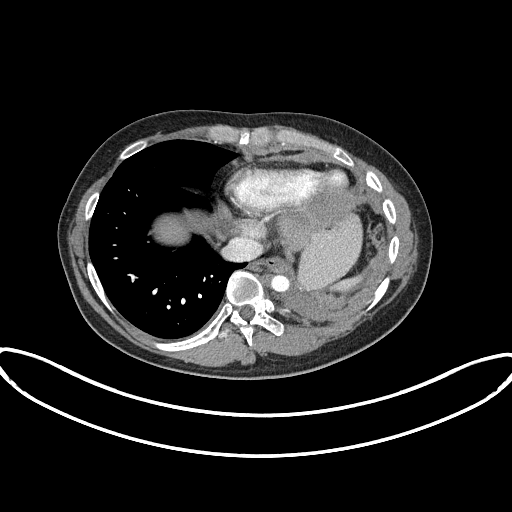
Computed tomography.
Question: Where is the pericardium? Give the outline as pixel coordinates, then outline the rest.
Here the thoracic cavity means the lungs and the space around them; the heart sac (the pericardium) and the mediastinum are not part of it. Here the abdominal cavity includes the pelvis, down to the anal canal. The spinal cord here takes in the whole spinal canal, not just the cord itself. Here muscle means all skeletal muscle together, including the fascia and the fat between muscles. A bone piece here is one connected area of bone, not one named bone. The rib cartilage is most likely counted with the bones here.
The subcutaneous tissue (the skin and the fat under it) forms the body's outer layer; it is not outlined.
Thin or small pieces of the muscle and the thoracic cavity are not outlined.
Answer: The pericardium is outlined by 252 239; 282 239; 288 234; 303 230; 313 231; 327 225; 343 211; 358 191; 358 183; 352 171; 347 166; 322 153; 307 152; 272 156; 257 160; 248 160; 238 164; 228 172; 220 182; 216 197; 218 214; 230 230; 238 235; 246 236. The abdominal cavity appears in 2 outlined pieces: piece 1: 331 309; 352 308; 363 304; 383 278; 387 268; 388 258; 386 252; 391 228; 383 215; 382 209; 376 206; 365 194; 358 194; 344 211; 327 226; 313 232; 303 231; 288 235; 281 240; 285 260; 291 272; 291 281; 295 288; 304 297; piece 2: 213 249; 215 249; 226 237; 232 235; 233 233; 223 224; 219 218; 217 214; 216 204; 214 204; 211 212; 200 208; 183 208; 180 212; 164 212; 153 220; 148 232; 148 234; 156 243; 174 248; 189 243; 191 237; 194 234; 200 235. The muscle appears in 3 outlined pieces: piece 1: 213 367; 246 365; 255 362; 259 356; 291 357; 309 353; 329 341; 345 336; 369 320; 399 294; 415 270; 418 257; 418 235; 406 200; 382 172; 345 150; 355 162; 351 168; 364 177; 365 169; 369 167; 378 175; 383 186; 383 192; 380 194; 383 198; 389 197; 396 208; 396 222; 391 225; 391 237; 394 234; 399 237; 399 251; 395 261; 392 264; 388 262; 385 276; 391 277; 389 288; 372 309; 356 319; 355 316; 366 306; 365 303; 349 318; 335 322; 309 321; 290 311; 283 315; 276 312; 273 314; 285 324; 283 334; 276 336; 263 327; 256 326; 251 347; 238 327; 226 321; 222 326; 229 329; 225 338; 215 338; 205 344; 177 352; 162 351; 153 347; 151 342; 154 340; 168 341; 142 332; 116 310; 113 314; 111 313; 96 295; 87 276; 85 263; 90 259; 88 253; 90 221; 87 222; 84 219; 84 206; 89 195; 94 190; 102 189; 121 161; 117 157; 85 191; 67 233; 71 264; 85 300; 115 330; 134 344; 154 353; piece 2: 149 145; 162 140; 172 138; 189 138; 190 139; 199 139; 200 140; 206 140; 207 141; 210 141; 208 141; 207 140; 206 139; 204 135; 204 130; 207 127; 213 125; 214 124; 225 124; 213 124; 212 125; 211 125; 201 125; 200 126; 186 127; 167 133; 157 132; 152 135; 144 137; 147 139; piece 3: 325 141; 327 141; 323 139; 321 139; 320 138; 319 137; 315 135; 313 135; 310 133; 306 133; 305 132; 302 132; 299 130; 297 130; 289 126; 284 126; 283 125; 278 125; 277 124; 275 124; 274 125; 268 125; 267 126; 262 126; 266 126; 271 129; 279 129; 280 128; 287 128; 288 129; 293 129; 299 132; 301 132; 304 134; 307 134; 313 137; 315 137; 316 138; 319 138; 320 139; 322 139. The thoracic cavity appears in 3 outlined pieces: piece 1: 169 341; 204 327; 225 300; 230 274; 246 265; 224 260; 200 236; 174 249; 156 244; 147 234; 152 220; 164 211; 183 207; 211 211; 213 174; 237 155; 206 141; 162 141; 124 160; 101 191; 90 222; 90 258; 108 298; 133 325; piece 2: 320 321; 335 321; 349 317; 356 309; 363 305; 352 309; 331 310; 323 306; 317 305; 310 300; 304 298; 294 288; 293 285; 292 288; 281 295; 281 300; 280 302; 283 303; 288 309; 300 315; 303 315; 307 317; 309 320; 319 320; piece 3: 380 207; 381 207; 381 201; 382 200; 381 196; 378 193; 375 192; 373 190; 369 188; 365 184; 364 178; 361 175; 358 174; 352 169; 351 169; 356 176; 359 183; 359 191; 358 193; 365 193; 369 195; 373 200; 374 203; 376 205. The mediastinum appears in 2 outlined pieces: piece 1: 276 303; 279 302; 280 295; 292 287; 290 281; 290 272; 285 263; 282 252; 281 241; 276 239; 252 240; 246 237; 238 236; 235 233; 226 238; 215 250; 226 260; 246 262; 247 265; 243 269; 250 271; 260 280; 264 288; 265 295; piece 2: 213 205; 219 182; 238 163; 248 159; 279 154; 300 153; 304 151; 321 152; 301 146; 288 146; 289 144; 283 143; 259 147; 237 147; 223 142; 212 142; 220 147; 234 151; 238 155; 221 166; 214 174; 210 186; 210 194; 214 199. The bones appear in 9 outlined pieces: piece 1: 167 351; 225 337; 228 329; 221 326; 226 320; 239 327; 251 346; 256 325; 276 335; 282 334; 284 324; 272 314; 289 310; 278 307; 266 297; 253 274; 236 270; 229 277; 226 300; 204 328; 180 341; 152 342; 153 346 with a hole at 247 320; 250 319; 253 316; 253 315; 254 314; 254 310; 253 309; 253 308; 251 306; 250 306; 249 305; 244 305; 243 306; 242 306; 241 307; 238 308; 239 309; 239 312; 240 313; 240 315; 244 319; 246 319; piece 2: 349 167; 352 167; 354 162; 342 148; 293 130; 271 130; 266 127; 259 127; 252 131; 248 131; 240 130; 229 125; 214 125; 205 130; 207 139; 211 141; 236 142; 239 145; 245 145; 251 141; 256 145; 262 145; 272 141; 313 147; piece 3: 113 313; 115 310; 115 308; 107 298; 91 261; 90 260; 88 260; 86 263; 86 266; 87 267; 87 272; 88 273; 88 276; 89 277; 90 282; 94 290; 96 292; 97 295; 99 297; 101 301; 105 305; 105 306; 111 312; piece 4: 356 318; 360 316; 366 311; 372 308; 380 300; 380 299; 383 296; 383 295; 385 293; 385 292; 388 288; 388 286; 390 282; 390 277; 389 276; 386 276; 376 287; 372 295; 366 301; 367 306; 360 313; 359 313; 356 316; piece 5: 122 161; 124 159; 129 157; 131 155; 134 154; 136 152; 146 147; 148 145; 148 143; 146 139; 144 138; 141 138; 131 143; 129 145; 128 145; 120 153; 118 157; 118 158; piece 6: 379 193; 382 192; 382 186; 381 185; 381 183; 380 182; 377 175; 371 169; 370 169; 369 168; 367 168; 366 169; 366 172; 365 173; 365 180; 366 181; 366 184; 369 187; 370 187; 372 189; 373 189; 375 191; 376 191; piece 7: 87 221; 90 220; 90 219; 93 214; 93 211; 95 208; 95 206; 96 205; 97 200; 99 197; 99 194; 100 193; 100 192; 97 190; 96 191; 94 191; 90 195; 90 196; 87 200; 87 202; 86 203; 86 205; 85 206; 85 219; piece 8: 391 224; 394 224; 394 223; 395 222; 395 208; 394 207; 394 205; 393 204; 393 203; 392 202; 392 201; 389 198; 384 198; 382 201; 382 208; 384 211; 384 215; 385 216; 385 217; 387 219; 387 220; 388 221; 388 222; 389 222; piece 9: 390 263; 392 263; 394 261; 394 260; 397 255; 397 252; 398 251; 398 246; 399 245; 399 239; 398 238; 398 237; 396 235; 394 235; 391 238; 391 239; 389 242; 389 245; 388 246; 388 251; 387 252; 387 255; 389 258; 389 262. The torso is outlined by 222 379; 287 377; 341 361; 388 334; 419 299; 429 272; 433 247; 425 201; 402 164; 361 131; 336 119; 304 112; 169 110; 142 117; 114 132; 93 152; 78 174; 60 212; 57 246; 72 296; 85 321; 103 340; 136 359; 182 373. The spinal cord is outlined by 247 320; 250 319; 253 316; 253 315; 254 314; 254 310; 253 309; 253 308; 251 306; 250 306; 249 305; 244 305; 243 306; 242 306; 241 307; 238 308; 239 309; 239 312; 240 313; 240 315; 244 319; 246 319.